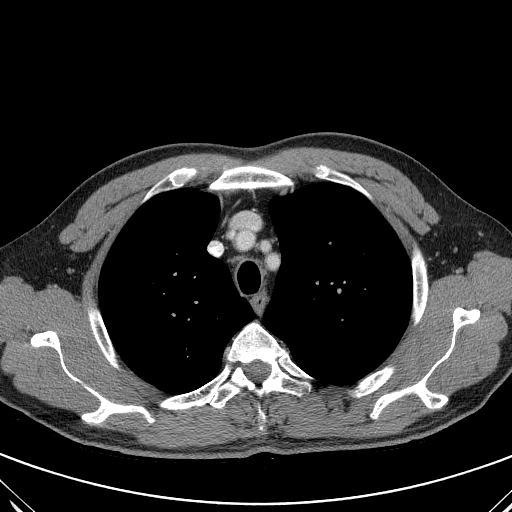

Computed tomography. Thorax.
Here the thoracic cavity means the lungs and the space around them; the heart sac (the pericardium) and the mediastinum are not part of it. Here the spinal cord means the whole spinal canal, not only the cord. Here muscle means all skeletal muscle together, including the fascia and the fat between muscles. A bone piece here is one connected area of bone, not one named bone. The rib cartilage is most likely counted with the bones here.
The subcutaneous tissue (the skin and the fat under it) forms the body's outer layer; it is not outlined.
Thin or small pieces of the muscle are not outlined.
The thoracic cavity appears in 2 outlined pieces: piece 1: [[318,180],[347,186],[362,194],[389,222],[410,260],[412,299],[407,326],[393,351],[378,369],[349,385],[327,384],[316,380],[295,363],[288,348],[263,325],[264,312],[270,302],[282,262],[280,243],[270,213],[271,200],[274,195],[292,193],[299,184]]; piece 2: [[184,186],[204,188],[207,193],[218,198],[219,217],[206,251],[226,265],[237,293],[249,304],[254,318],[246,323],[225,347],[222,367],[215,376],[190,391],[167,394],[136,375],[120,358],[99,309],[98,281],[102,264],[112,243],[137,208],[155,195]]. The spinal cord is outlined by [[255,360],[259,360],[264,363],[266,363],[268,364],[270,367],[270,372],[269,374],[263,380],[262,380],[259,384],[257,384],[255,383],[252,380],[249,379],[247,377],[245,373],[245,371],[244,370],[244,366],[245,365]]. The bones appear in 9 outlined pieces: piece 1: [[254,320],[287,348],[296,365],[315,379],[311,391],[302,397],[280,391],[270,392],[261,402],[266,416],[263,430],[258,428],[257,399],[244,388],[222,408],[205,403],[169,410],[158,405],[160,399],[190,392],[215,377],[223,367],[226,347],[246,324]], around a hole outlined by [[255,360],[259,360],[264,363],[266,363],[268,364],[270,367],[270,372],[269,374],[263,380],[262,380],[259,384],[257,384],[255,383],[252,380],[249,379],[247,377],[245,373],[245,371],[244,370],[244,366],[245,365]]; piece 2: [[456,307],[467,310],[477,308],[480,314],[476,321],[465,324],[457,330],[452,351],[426,381],[429,390],[447,395],[448,402],[439,409],[430,409],[412,393],[389,403],[376,419],[371,418],[369,414],[380,396],[417,382],[445,353],[451,342],[452,314]]; piece 3: [[247,163],[253,163],[273,169],[291,178],[294,181],[295,186],[283,188],[257,188],[252,191],[246,189],[238,189],[234,191],[223,191],[221,193],[207,192],[205,190],[205,188],[221,174],[223,169],[227,169],[230,167],[233,167],[235,165]]; piece 4: [[46,330],[56,332],[64,362],[71,373],[112,402],[143,406],[155,421],[149,423],[137,411],[113,413],[99,424],[89,424],[80,418],[82,413],[95,410],[100,401],[67,375],[61,366],[59,354],[54,348],[31,345],[31,336],[36,332]]; piece 5: [[413,241],[415,241],[417,243],[423,253],[424,258],[427,263],[427,271],[428,272],[428,291],[425,308],[418,323],[414,326],[412,325],[412,322],[410,320],[410,315],[412,309],[412,300],[413,299],[413,276],[412,275],[412,268],[410,258],[412,255]]; piece 6: [[93,302],[95,303],[100,312],[107,333],[110,338],[113,347],[119,357],[119,363],[122,368],[122,370],[118,370],[110,364],[101,351],[92,333],[90,327],[90,324],[88,320],[87,309],[88,307],[93,303]]; piece 7: [[183,166],[196,166],[198,167],[198,169],[200,171],[195,177],[188,181],[185,184],[185,185],[181,187],[175,188],[167,191],[163,191],[153,195],[149,199],[140,205],[140,202],[141,200],[144,197],[148,190],[149,190],[165,175],[168,174],[173,170]]; piece 8: [[388,364],[392,364],[394,365],[395,369],[387,381],[376,390],[368,394],[363,395],[360,397],[352,397],[347,393],[347,390],[350,387],[351,387],[353,384],[359,380],[362,379],[364,377],[367,376],[372,372],[374,372],[376,370],[378,370]]; piece 9: [[320,163],[325,164],[329,167],[333,169],[335,169],[340,172],[342,172],[351,177],[354,180],[359,183],[372,196],[377,205],[376,206],[362,193],[350,186],[340,184],[329,180],[322,180],[317,178],[310,170],[313,166],[316,164],[319,164]]. The muscle is outlined by [[292,146],[368,154],[406,175],[440,216],[421,242],[427,262],[415,240],[409,256],[359,182],[325,163],[309,170],[317,180],[296,185],[268,166],[235,164],[205,187],[186,185],[201,171],[183,165],[147,190],[101,264],[98,307],[93,301],[86,314],[109,364],[122,371],[120,359],[168,395],[157,405],[169,411],[222,409],[244,389],[256,399],[263,431],[262,402],[272,392],[302,398],[317,381],[351,385],[346,393],[360,398],[384,385],[396,367],[379,368],[409,322],[419,323],[429,274],[430,280],[448,275],[489,250],[511,258],[511,320],[492,373],[449,402],[427,387],[458,330],[480,317],[477,307],[456,306],[444,353],[417,381],[380,395],[368,414],[376,420],[412,394],[430,410],[447,405],[384,436],[270,434],[204,446],[147,445],[92,425],[113,414],[156,419],[143,405],[112,401],[71,372],[53,329],[34,332],[30,345],[54,349],[66,375],[98,406],[79,417],[13,386],[0,369],[0,282],[14,275],[35,290],[50,284],[79,295],[89,256],[58,236],[97,188],[179,154],[255,158]]. The mediastinum is outlined by [[290,187],[295,187],[292,192],[284,195],[274,194],[269,203],[269,213],[279,243],[281,262],[269,302],[263,312],[262,325],[254,319],[255,315],[250,304],[238,293],[227,265],[207,251],[207,246],[220,217],[220,201],[214,194]]. The torso is outlined by [[317,131],[357,134],[409,154],[458,195],[511,231],[511,374],[476,412],[439,433],[389,447],[295,455],[260,452],[241,459],[196,461],[135,457],[95,446],[78,445],[0,401],[0,246],[36,225],[86,178],[104,166],[140,150],[176,142],[258,146]].